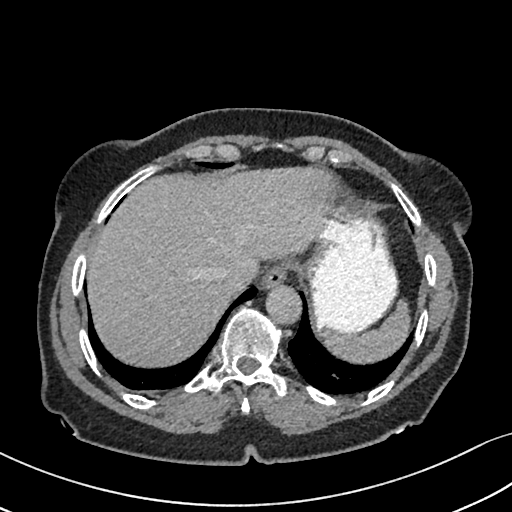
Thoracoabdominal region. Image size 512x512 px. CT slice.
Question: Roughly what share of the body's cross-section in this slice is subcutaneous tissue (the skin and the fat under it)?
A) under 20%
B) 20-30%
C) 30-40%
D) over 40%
Answer: B) 20-30%
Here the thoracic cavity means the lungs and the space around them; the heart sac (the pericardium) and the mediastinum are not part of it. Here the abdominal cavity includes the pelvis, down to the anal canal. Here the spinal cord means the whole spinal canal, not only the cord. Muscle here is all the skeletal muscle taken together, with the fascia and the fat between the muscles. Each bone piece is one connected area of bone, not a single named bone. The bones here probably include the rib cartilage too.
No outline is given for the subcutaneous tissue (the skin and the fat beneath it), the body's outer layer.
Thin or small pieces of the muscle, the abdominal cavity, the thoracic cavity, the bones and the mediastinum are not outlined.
Outlines:
thoracic cavity 1: [[301,291],[305,298],[307,320],[313,337],[331,356],[350,365],[373,365],[391,357],[413,332],[413,339],[406,353],[385,381],[370,389],[366,394],[358,393],[352,396],[334,396],[304,381],[285,352],[289,341],[295,336],[302,318],[303,302],[300,295]]
thoracic cavity 2: [[252,286],[256,288],[256,294],[230,312],[220,332],[219,339],[210,351],[209,359],[183,385],[154,396],[134,393],[112,377],[98,362],[88,334],[87,307],[99,341],[116,360],[133,368],[161,369],[177,365],[193,356],[206,343],[234,300]]
mediastinum 1: [[274,264],[293,272],[302,286],[299,292],[302,302],[301,318],[297,330],[288,341],[284,352],[291,360],[296,372],[284,361],[283,353],[281,351],[280,354],[282,330],[265,314],[258,309],[242,306],[228,319],[236,307],[257,294],[255,286],[249,287]]
mediastinum 2: [[334,167],[338,167],[339,168],[353,168],[354,169],[361,169],[367,172],[373,176],[377,180],[381,182],[381,183],[391,192],[399,204],[397,204],[392,201],[374,200],[365,196],[363,194],[360,193],[348,181],[348,180],[344,176],[343,176],[335,167]]
mediastinum 3: [[186,160],[196,160],[197,161],[196,163],[199,166],[204,167],[202,169],[192,169],[191,170],[185,170],[184,171],[178,171],[177,172],[170,172],[159,175],[154,174],[162,170],[165,170],[167,168],[172,167],[176,164],[179,164],[181,162],[183,162]]
abdominal cavity: [[266,148],[333,166],[365,197],[401,206],[423,259],[421,311],[414,330],[381,361],[353,365],[340,360],[314,337],[296,274],[274,263],[233,300],[189,358],[152,369],[116,359],[100,341],[84,298],[88,260],[108,216],[152,175],[225,168],[229,161]]
spinal cord: [[242,357],[248,357],[249,358],[253,358],[254,359],[257,360],[260,364],[259,365],[259,366],[254,371],[253,371],[251,373],[250,373],[249,374],[244,374],[238,368],[238,367],[237,366],[237,362],[238,361],[238,360]]
muscle: [[226,134],[345,141],[384,166],[442,238],[459,297],[448,338],[441,356],[379,407],[301,434],[280,433],[246,416],[230,419],[217,433],[173,433],[94,401],[61,368],[49,319],[57,278],[78,234],[120,183],[95,219],[102,225],[87,263],[84,251],[73,263],[70,288],[84,299],[86,328],[79,328],[78,341],[85,361],[97,377],[103,375],[99,364],[132,392],[118,392],[128,405],[147,410],[158,403],[148,396],[179,386],[186,393],[217,393],[229,380],[245,388],[261,382],[284,397],[288,378],[271,366],[279,353],[305,382],[311,399],[326,406],[338,405],[337,396],[365,394],[357,404],[363,407],[394,386],[394,377],[386,380],[410,346],[421,345],[427,329],[424,277],[428,286],[436,284],[436,260],[429,250],[422,257],[414,230],[422,226],[417,207],[391,180],[386,182],[390,190],[361,168],[313,161],[353,160],[351,153],[323,145],[309,145],[300,154],[279,141],[271,147],[261,142],[239,156],[232,143],[199,144],[183,152],[194,159],[165,169],[160,163],[150,163],[130,175],[188,142]]; inner edge: [[244,396],[246,396],[247,397],[247,398],[248,399],[248,402],[249,403],[249,406],[250,407],[250,411],[249,412],[249,413],[248,413],[247,414],[245,414],[244,413],[243,413],[241,411],[241,403],[242,402],[242,400],[243,399],[243,397]]
bones 1: [[242,307],[258,310],[281,330],[279,352],[270,366],[275,372],[287,378],[287,393],[278,396],[273,387],[264,382],[259,381],[245,387],[233,379],[225,381],[217,392],[204,388],[194,392],[184,391],[183,386],[210,359],[211,351],[220,339],[227,321]], around a hole outlined by [[242,357],[248,357],[249,358],[253,358],[254,359],[257,360],[260,364],[259,365],[259,366],[254,371],[253,371],[251,373],[250,373],[249,374],[244,374],[238,368],[238,367],[237,366],[237,362],[238,361],[238,360]]
bones 2: [[155,163],[160,164],[162,166],[162,169],[142,180],[128,191],[127,193],[118,201],[104,221],[102,223],[99,224],[96,223],[96,219],[100,212],[101,208],[104,205],[105,202],[114,190],[123,181],[136,173],[139,170],[147,167],[150,164],[154,164]]
bones 3: [[222,144],[232,144],[238,148],[240,153],[238,157],[235,159],[232,159],[231,160],[226,159],[217,155],[213,151],[210,156],[206,157],[203,160],[197,160],[194,158],[187,158],[184,154],[184,152],[186,150],[199,145],[210,145],[213,147],[215,147]]
bones 4: [[309,146],[323,146],[327,150],[329,149],[342,150],[345,152],[347,152],[351,154],[353,156],[353,158],[351,161],[349,161],[348,162],[340,162],[336,164],[333,164],[324,158],[311,160],[306,158],[302,155],[302,153],[306,149],[306,148]]
bones 5: [[388,181],[391,181],[396,185],[397,185],[409,198],[409,199],[416,207],[420,215],[420,217],[421,218],[421,226],[420,227],[414,227],[413,224],[411,222],[408,216],[404,211],[402,206],[400,204],[398,200],[395,197],[391,189],[389,187],[387,183]]
bones 6: [[81,252],[84,252],[86,255],[86,266],[85,267],[85,273],[83,277],[82,292],[81,292],[79,296],[77,297],[76,296],[74,296],[72,293],[72,289],[71,288],[71,278],[72,277],[72,273],[73,272],[73,266],[74,265],[74,263],[78,255]]
bones 7: [[81,327],[83,327],[87,330],[88,338],[98,363],[97,366],[98,367],[98,369],[102,375],[101,377],[97,376],[93,372],[86,361],[86,359],[82,351],[82,349],[80,345],[80,342],[79,341],[79,330]]
bones 8: [[120,391],[124,391],[125,392],[128,392],[129,393],[133,393],[134,394],[137,394],[138,395],[145,396],[148,398],[154,399],[157,402],[157,403],[155,405],[147,409],[140,409],[139,408],[136,408],[128,404],[122,399],[122,398],[119,395],[119,392]]
bones 9: [[393,378],[394,378],[396,380],[395,381],[395,383],[390,389],[390,390],[385,395],[382,396],[377,400],[369,404],[367,404],[363,406],[358,406],[358,404],[366,397],[367,393],[370,390],[375,388],[377,386],[382,384],[384,382],[390,379],[392,379]]
bones 10: [[307,384],[309,385],[311,385],[313,387],[316,388],[318,390],[324,393],[329,394],[335,397],[339,401],[338,404],[336,405],[326,405],[325,404],[323,404],[322,403],[320,403],[317,401],[315,401],[313,400],[304,388],[304,386]]
bones 11: [[423,308],[426,308],[428,311],[428,319],[427,320],[427,325],[426,326],[426,329],[425,330],[424,336],[422,339],[422,341],[420,345],[417,348],[416,348],[413,344],[411,345],[414,339],[414,332],[418,322],[418,319],[420,316],[420,314]]
bones 12: [[427,251],[429,251],[432,254],[432,255],[435,260],[435,262],[436,263],[436,271],[435,272],[435,284],[433,287],[432,286],[430,286],[427,284],[427,281],[426,280],[426,278],[425,277],[425,275],[424,274],[424,257],[425,256],[425,254],[427,252]]
torso: [[222,107],[300,109],[347,118],[400,148],[436,159],[465,187],[472,206],[463,237],[473,266],[468,341],[457,371],[422,423],[325,457],[265,464],[251,456],[244,465],[198,465],[84,442],[43,405],[36,302],[65,173],[102,142],[141,138],[191,114]]